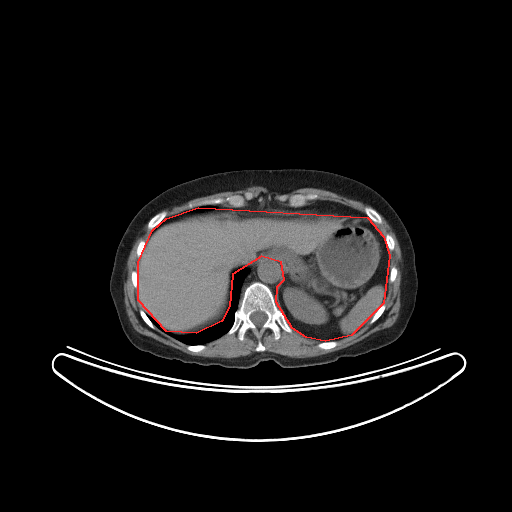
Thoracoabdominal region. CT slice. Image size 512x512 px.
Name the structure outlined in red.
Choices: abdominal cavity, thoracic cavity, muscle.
red: abdominal cavity.
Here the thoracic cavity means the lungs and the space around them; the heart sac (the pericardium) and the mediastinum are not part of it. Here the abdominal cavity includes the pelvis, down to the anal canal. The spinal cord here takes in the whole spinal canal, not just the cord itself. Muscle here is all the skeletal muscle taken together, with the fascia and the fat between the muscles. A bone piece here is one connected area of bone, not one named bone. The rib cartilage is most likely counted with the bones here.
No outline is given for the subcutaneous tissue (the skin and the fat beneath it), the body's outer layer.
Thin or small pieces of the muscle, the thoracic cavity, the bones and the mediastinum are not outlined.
The abdominal cavity is outlined by [[198,207],[367,217],[383,236],[389,255],[383,303],[351,335],[325,341],[306,337],[292,328],[276,302],[277,286],[284,279],[281,262],[261,256],[232,274],[229,306],[221,321],[196,333],[166,331],[138,300],[138,262],[152,230],[166,218]]. The spinal cord is outlined by [[257,311],[260,311],[261,312],[263,312],[266,315],[266,316],[267,317],[267,318],[266,319],[266,320],[262,324],[262,325],[260,327],[258,327],[251,320],[251,319],[250,318],[250,316],[251,315],[251,314],[252,314],[254,312],[256,312]]. The bones appear in 9 outlined pieces: piece 1: [[253,282],[260,282],[271,290],[277,306],[283,311],[292,329],[291,332],[281,329],[278,339],[275,339],[269,328],[265,329],[260,336],[264,351],[255,350],[258,338],[251,329],[245,332],[242,340],[238,338],[236,331],[227,334],[233,325],[243,292]], around a hole outlined by [[257,311],[260,311],[261,312],[263,312],[266,315],[266,316],[267,317],[267,318],[266,319],[266,320],[262,324],[262,325],[260,327],[258,327],[251,320],[251,319],[250,318],[250,316],[251,315],[251,314],[252,314],[254,312],[256,312]]; piece 2: [[246,192],[250,192],[253,196],[250,200],[246,200],[245,205],[241,207],[233,207],[230,206],[227,202],[224,202],[221,204],[209,204],[194,207],[190,209],[188,208],[189,203],[195,204],[206,199],[224,198],[227,196],[236,194],[243,195]]; piece 3: [[292,194],[316,194],[317,195],[318,195],[319,198],[318,198],[317,199],[315,199],[314,200],[310,200],[309,201],[308,201],[305,205],[302,205],[301,206],[290,206],[289,205],[288,205],[285,201],[284,202],[279,201],[277,198],[282,195],[291,195]]; piece 4: [[162,210],[166,210],[167,211],[167,214],[166,215],[166,216],[165,217],[165,218],[164,219],[163,219],[153,229],[152,229],[151,230],[149,230],[147,228],[147,225],[148,224],[148,222],[149,221],[149,220],[155,214],[156,214],[158,212],[159,212]]; piece 5: [[366,206],[370,206],[371,207],[372,207],[376,211],[377,211],[377,212],[380,215],[380,216],[381,217],[381,219],[382,220],[382,222],[381,223],[380,223],[379,224],[376,224],[375,223],[374,223],[366,215],[366,214],[364,211],[364,208]]; piece 6: [[334,340],[335,341],[337,341],[338,342],[338,343],[337,344],[337,345],[336,345],[334,347],[333,347],[332,348],[330,348],[329,349],[323,349],[322,348],[320,348],[317,346],[318,343],[319,343],[320,342],[325,342],[326,341],[333,341]]; piece 7: [[140,309],[142,309],[145,312],[145,313],[147,315],[147,316],[151,320],[152,323],[156,327],[156,328],[155,328],[154,329],[151,328],[143,320],[143,319],[141,317],[141,316],[140,315],[140,313],[139,312]]; piece 8: [[382,304],[384,304],[385,305],[385,309],[384,310],[384,311],[382,313],[382,314],[373,323],[369,323],[369,322],[370,321],[370,320],[373,317],[373,316],[374,315],[374,314],[378,310],[378,309],[380,307],[380,306]]; piece 9: [[392,266],[395,266],[397,268],[397,270],[398,271],[397,272],[397,274],[396,275],[396,276],[395,277],[395,279],[394,280],[394,281],[393,282],[392,282],[391,283],[389,283],[389,281],[388,280],[389,279],[389,274],[390,273],[390,268]]. The mediastinum appears in 2 outlined pieces: piece 1: [[253,200],[258,200],[260,202],[266,200],[276,201],[290,207],[305,206],[312,201],[329,201],[353,208],[366,216],[342,214],[335,211],[323,210],[290,210],[269,208],[256,211],[246,211],[228,207],[214,207],[214,205],[222,205],[233,208],[241,208]]; piece 2: [[261,257],[277,259],[280,262],[281,266],[284,270],[283,272],[283,279],[279,282],[275,289],[275,298],[272,290],[266,284],[260,281],[253,281],[251,282],[245,287],[242,292],[242,294],[241,292],[244,280],[250,271],[248,268],[257,259]]. The torso is outlined by [[284,168],[323,170],[355,179],[377,191],[396,211],[413,245],[418,279],[415,306],[403,333],[395,341],[360,355],[297,368],[284,368],[272,360],[244,369],[204,366],[158,357],[135,347],[121,327],[109,282],[118,244],[136,213],[166,189],[201,176]]. The muscle appears in 3 outlined pieces: piece 1: [[381,215],[395,233],[401,251],[400,309],[396,321],[391,326],[349,346],[317,356],[290,357],[265,351],[261,336],[267,329],[273,333],[275,340],[280,338],[281,330],[288,333],[293,330],[306,338],[318,341],[318,348],[329,350],[338,345],[338,340],[355,334],[368,323],[373,324],[383,314],[389,284],[395,281],[399,271],[395,265],[390,264],[389,252],[395,247],[395,239],[388,232],[384,237],[376,225],[383,222]]; piece 2: [[147,223],[149,235],[146,241],[144,239],[138,241],[135,251],[139,258],[137,270],[134,269],[130,273],[131,283],[141,306],[138,312],[142,320],[151,329],[157,328],[185,344],[186,349],[191,352],[204,350],[206,348],[204,344],[225,334],[236,332],[237,338],[242,341],[246,332],[251,330],[257,338],[255,352],[231,358],[192,355],[141,334],[133,328],[125,308],[123,287],[127,277],[126,267],[130,251]]; piece 3: [[250,186],[263,186],[271,191],[276,191],[277,192],[290,192],[296,189],[305,188],[306,187],[318,188],[319,189],[331,191],[339,195],[351,199],[355,199],[369,205],[366,205],[363,208],[364,213],[353,207],[335,201],[315,200],[320,198],[319,195],[316,193],[282,194],[276,198],[278,201],[276,200],[267,200],[266,199],[263,201],[260,201],[258,199],[251,200],[254,196],[253,194],[250,191],[246,191],[243,194],[236,193],[235,194],[227,195],[224,197],[206,198],[195,203],[189,202],[187,204],[187,208],[189,209],[166,217],[168,214],[168,211],[166,209],[164,209],[166,208],[182,204],[194,198],[206,196],[224,191],[235,191],[239,189],[244,189]]. The thoracic cavity is outlined by [[243,268],[247,268],[249,271],[241,286],[241,297],[238,307],[234,312],[232,325],[226,333],[203,344],[186,344],[164,332],[153,323],[153,320],[160,328],[166,332],[180,336],[196,334],[215,326],[221,322],[228,313],[232,293],[232,276],[235,272]].